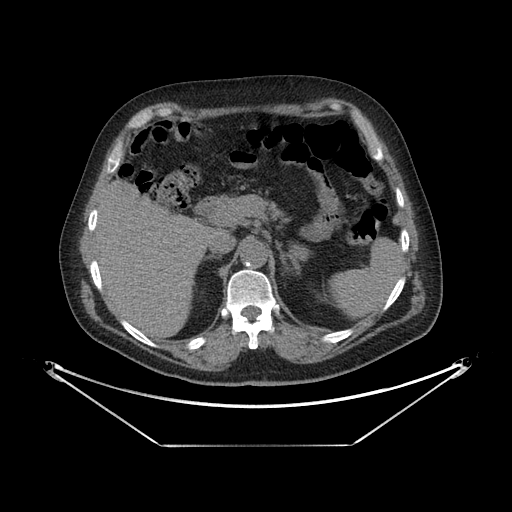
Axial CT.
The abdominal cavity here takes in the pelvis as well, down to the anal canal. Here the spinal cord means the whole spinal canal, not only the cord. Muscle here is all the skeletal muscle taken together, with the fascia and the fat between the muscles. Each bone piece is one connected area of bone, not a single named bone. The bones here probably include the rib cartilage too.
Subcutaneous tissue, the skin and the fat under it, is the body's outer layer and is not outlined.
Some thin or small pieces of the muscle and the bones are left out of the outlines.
Outlines:
spinal cord: 248,306 254,306 255,307 257,307 260,310 260,312 259,313 259,314 258,314 256,316 256,317 255,318 255,319 252,321 250,321 244,315 243,315 243,314 242,313 242,311 243,310 243,309 244,308 245,308
bones 1: 241,269 264,273 269,279 272,293 280,307 279,315 272,313 273,332 261,330 257,334 258,345 255,349 248,347 249,336 245,331 232,333 232,319 229,314 225,318 221,316 221,309 227,296 228,280 234,272; inner edge: 248,306 254,306 255,307 257,307 260,310 260,312 259,313 259,314 258,314 256,316 256,317 255,318 255,319 252,321 250,321 244,315 243,315 243,314 242,313 242,311 243,310 243,309 244,308 245,308
bones 2: 351,108 356,109 359,113 361,114 374,132 382,148 383,158 381,160 378,161 372,157 372,155 371,154 371,148 369,145 368,141 366,139 366,137 364,135 362,130 360,129 360,128 354,122 350,116 349,110
bones 3: 159,108 170,108 172,110 172,112 170,114 168,114 164,116 157,116 156,115 154,116 149,121 144,123 141,126 139,127 137,127 136,128 129,128 128,127 128,123 129,121 136,114 146,109 150,109 154,111
bones 4: 122,138 123,139 123,153 122,154 122,156 121,157 121,159 120,160 119,165 118,167 112,173 107,173 106,172 106,168 107,167 107,162 108,161 108,157 110,155 114,146 116,144 118,140
bones 5: 121,319 124,319 132,326 133,326 135,328 139,330 144,335 145,335 148,338 149,338 153,342 156,343 158,345 158,347 152,347 136,339 132,335 131,335 123,327 123,326 120,323 120,320
bones 6: 401,276 404,276 405,277 405,283 403,286 403,288 402,289 400,294 395,300 395,301 386,310 383,311 382,310 382,307 384,305 384,304 385,303 388,296 390,294 390,293 391,292 392,289 394,287 396,282
bones 7: 347,328 352,328 353,329 353,332 347,337 346,337 337,342 332,343 331,342 324,342 321,340 321,337 324,334 326,334 327,333 330,333 331,332 333,332 334,331 338,331 339,330 343,330 344,329 346,329
bones 8: 93,259 95,259 97,262 97,265 99,269 99,273 101,277 101,282 102,283 102,288 103,289 101,292 98,290 98,289 94,284 93,282 93,279 90,273 90,263
bones 9: 199,336 202,336 203,337 204,337 205,338 205,342 201,346 200,346 196,349 193,349 192,350 190,350 189,349 188,349 185,345 186,344 186,343 189,340 190,340 193,338 198,337
bones 10: 403,228 404,228 405,229 406,229 406,230 407,231 407,232 408,233 408,235 409,236 409,246 408,247 408,250 406,252 403,252 402,251 402,248 401,247 401,243 400,242 400,233 401,232 401,230
bones 11: 94,208 96,208 97,209 97,219 96,220 96,223 95,224 95,228 93,230 93,231 90,231 89,230 89,228 88,227 87,227 87,226 86,225 86,223 87,222 87,219 89,216 89,214 90,213 91,210
bones 12: 396,187 398,187 400,189 400,190 401,191 401,193 402,194 402,195 403,196 403,207 399,207 398,206 398,204 397,203 397,202 396,201 396,194 395,193 395,188
mediastinum: 253,243 254,244 259,244 259,245 265,250 265,256 267,258 267,265 266,266 267,267 266,268 267,269 267,274 257,269 241,268 234,271 230,275 228,275 235,259 240,255 242,249 247,246 248,244 252,244
abdominal cavity: 244,112 350,117 395,194 401,273 383,305 365,319 333,331 311,329 281,309 267,275 266,250 259,243 248,243 227,274 225,301 216,324 190,339 153,341 122,318 103,288 94,230 104,189 135,130 160,120
muscle 1: 324,97 343,99 359,108 370,120 395,161 414,212 413,219 418,233 416,267 425,290 425,303 420,312 406,321 389,327 340,354 319,362 299,364 268,351 256,349 259,345 258,334 261,331 273,333 275,330 273,313 279,316 281,310 292,321 303,328 331,331 324,333 320,337 320,340 324,343 334,344 350,336 354,332 353,326 365,320 378,309 381,308 383,312 386,311 399,297 406,283 406,277 401,274 404,263 404,253 409,250 410,246 410,236 406,228 403,227 401,229 397,218 398,209 404,207 404,196 398,186 393,189 386,172 379,163 384,158 384,152 371,126 362,114 353,107 348,110 349,115 347,113 338,113 316,117 304,117 265,111 244,111 199,119 160,119 140,128 137,128 149,122 154,117 170,115 173,110 170,107 159,107 154,110 146,108 130,118 139,110 149,105 166,101 195,108 214,108 270,103 302,104 with a hole at 331,103 338,103 339,104 340,104 342,106 342,109 341,109 340,110 336,110 335,109 332,109 329,106 329,105
muscle 2: 128,121 127,127 136,129 130,135 124,149 124,139 119,138 107,157 105,172 111,174 111,176 103,189 98,207 90,210 85,223 88,230 93,232 95,258 89,263 92,282 99,292 101,293 103,290 109,303 121,317 119,323 122,327 136,340 152,348 159,347 155,342 165,343 188,340 184,345 185,347 190,351 196,350 206,342 206,338 200,335 217,324 220,311 220,316 223,319 229,315 231,333 235,335 239,332 245,332 248,336 247,347 249,349 230,368 220,371 205,371 162,359 100,326 85,310 78,290 80,225 83,221 85,206 101,170 107,150
muscle 3: 359,128 359,129 360,130 361,130 363,135 365,137 365,139 367,141 367,142 368,143 368,145 370,148 370,151 366,147 366,146 364,144 364,143 363,142 363,140 361,137 361,135 360,134 360,132 359,131
torso: 264,74 337,79 365,91 390,113 407,144 434,219 442,261 441,308 432,328 421,338 357,370 327,380 285,386 227,387 164,376 96,342 79,326 68,305 60,274 61,229 93,143 122,104 146,90 174,82